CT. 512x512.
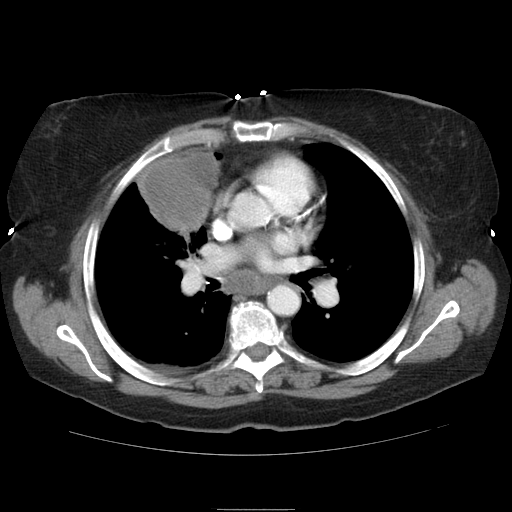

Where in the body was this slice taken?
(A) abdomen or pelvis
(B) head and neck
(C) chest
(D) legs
Answer: (C) chest
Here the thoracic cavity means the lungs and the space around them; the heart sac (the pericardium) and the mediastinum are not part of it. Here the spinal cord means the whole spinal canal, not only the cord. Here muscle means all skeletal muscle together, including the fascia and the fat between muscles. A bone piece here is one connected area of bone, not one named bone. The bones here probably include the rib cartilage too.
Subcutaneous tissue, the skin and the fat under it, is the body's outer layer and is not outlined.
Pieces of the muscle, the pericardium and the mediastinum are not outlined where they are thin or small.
The bones appear in 8 outlined pieces: piece 1: (248, 300) (263, 303) (283, 329) (285, 338) (298, 350) (332, 368) (344, 367) (367, 356) (407, 317) (410, 316) (410, 322) (391, 354) (366, 372) (344, 375) (288, 359) (263, 375) (263, 389) (258, 392) (255, 377) (240, 368) (194, 377) (224, 356) (229, 346) (231, 307), around a hole outlined by (259, 342) (260, 342) (261, 343) (266, 345) (268, 347) (268, 348) (269, 349) (269, 352) (267, 354) (267, 355) (264, 358) (263, 358) (260, 360) (253, 360) (247, 354) (247, 352) (246, 351) (246, 350) (249, 347) (250, 347) (251, 346) (253, 346) (256, 343) (258, 343); piece 2: (95, 219) (99, 220) (99, 233) (95, 249) (93, 270) (95, 293) (92, 296) (92, 300) (94, 307) (116, 343) (138, 363) (168, 378) (176, 379) (177, 380) (171, 385) (149, 383) (127, 372) (108, 354) (96, 334) (88, 312) (83, 282) (83, 254) (85, 242) (90, 224); piece 3: (205, 127) (221, 128) (224, 130) (228, 136) (225, 141) (219, 143) (213, 143) (210, 141) (206, 143) (192, 143) (157, 157) (136, 174) (132, 181) (119, 195) (113, 205) (109, 204) (109, 199) (112, 191) (120, 179) (132, 164) (156, 142) (168, 135) (195, 128); piece 4: (235, 120) (241, 120) (247, 123) (254, 123) (262, 120) (267, 120) (272, 123) (276, 123) (277, 122) (291, 122) (305, 127) (306, 131) (304, 133) (297, 134) (290, 137) (285, 137) (278, 140) (245, 141) (241, 142) (230, 136) (231, 135) (231, 126) (233, 121); piece 5: (335, 137) (340, 137) (350, 142) (352, 144) (359, 147) (369, 154) (384, 168) (397, 187) (403, 199) (403, 201) (405, 204) (406, 210) (407, 211) (405, 216) (404, 216) (401, 212) (398, 205) (396, 203) (392, 195) (380, 178) (355, 154) (346, 148) (338, 144) (335, 140); piece 6: (450, 300) (454, 300) (456, 301) (459, 305) (459, 312) (457, 315) (454, 317) (447, 317) (442, 319) (425, 336) (419, 345) (414, 348) (410, 352) (407, 353) (396, 364) (395, 364) (393, 362) (397, 354) (400, 351) (408, 348) (419, 338) (422, 332) (435, 320) (444, 305); piece 7: (414, 237) (418, 237) (420, 239) (422, 244) (423, 254) (424, 255) (424, 270) (425, 271) (424, 279) (423, 280) (423, 285) (421, 289) (421, 292) (419, 298) (416, 302) (415, 302) (415, 300) (412, 295) (413, 294) (413, 285) (414, 284) (414, 255) (413, 254) (413, 239); piece 8: (62, 324) (66, 324) (72, 329) (74, 333) (87, 350) (89, 354) (89, 356) (94, 365) (101, 372) (111, 377) (113, 380) (111, 382) (109, 382) (98, 376) (91, 369) (84, 354) (76, 345) (70, 342) (62, 340) (58, 337) (56, 333) (56, 329) (59, 325) (61, 325). The thoracic cavity appears in 2 outlined pieces: piece 1: (191, 148) (206, 148) (221, 156) (217, 160) (219, 179) (202, 225) (206, 232) (209, 267) (221, 281) (223, 293) (231, 297) (227, 316) (228, 346) (213, 364) (204, 369) (162, 373) (129, 355) (105, 325) (96, 294) (96, 249) (99, 234) (112, 207) (137, 174) (161, 156); piece 2: (322, 141) (346, 149) (379, 178) (402, 214) (412, 244) (412, 294) (395, 331) (375, 350) (349, 361) (346, 365) (332, 365) (304, 353) (293, 342) (291, 332) (292, 321) (301, 308) (305, 293) (292, 277) (314, 260) (316, 240) (327, 215) (326, 177) (304, 159) (303, 147). The mediastinum appears in 2 outlined pieces: piece 1: (204, 224) (209, 244) (226, 264) (262, 274) (278, 273) (295, 265) (310, 253) (315, 242) (313, 260) (291, 277) (304, 291) (300, 308) (291, 321) (291, 339) (296, 347) (286, 338) (284, 329) (263, 302) (248, 299) (231, 306) (232, 297) (224, 293) (222, 281) (210, 267); piece 2: (294, 136) (321, 140) (305, 144) (302, 147) (303, 158) (296, 151) (269, 144) (248, 149) (221, 166) (220, 159) (222, 156) (218, 152) (206, 147) (191, 147) (179, 152) (169, 153) (192, 144) (206, 144) (208, 142) (219, 144) (225, 142) (228, 137) (244, 143) (278, 141). The pericardium is outlined by (269, 145) (296, 152) (314, 169) (317, 170) (326, 185) (324, 212) (325, 219) (309, 253) (303, 259) (278, 272) (262, 273) (257, 270) (232, 266) (226, 263) (222, 256) (210, 244) (208, 226) (204, 222) (214, 193) (218, 186) (220, 179) (220, 166) (221, 167) (248, 150). The muscle is outlined by (223, 115) (238, 119) (232, 121) (229, 136) (221, 127) (205, 126) (168, 134) (156, 141) (112, 189) (108, 199) (112, 206) (100, 231) (99, 219) (89, 224) (82, 254) (87, 312) (102, 347) (123, 370) (149, 384) (171, 386) (178, 380) (164, 374) (206, 369) (195, 374) (197, 378) (240, 369) (254, 377) (254, 388) (261, 393) (264, 375) (288, 360) (357, 376) (381, 364) (403, 340) (411, 316) (398, 326) (412, 296) (415, 303) (419, 300) (426, 271) (423, 244) (418, 236) (413, 237) (412, 243) (404, 217) (408, 211) (398, 187) (385, 168) (359, 146) (340, 136) (334, 137) (337, 144) (296, 136) (307, 128) (291, 121) (264, 119) (278, 115) (304, 118) (345, 132) (403, 175) (427, 218) (434, 247) (440, 254) (435, 281) (447, 283) (454, 266) (467, 258) (481, 261) (492, 272) (497, 283) (496, 306) (486, 329) (464, 341) (449, 356) (406, 365) (376, 388) (356, 396) (316, 399) (267, 393) (257, 401) (220, 408) (123, 393) (107, 383) (66, 371) (46, 357) (29, 341) (13, 308) (12, 291) (17, 278) (31, 275) (55, 295) (65, 297) (63, 261) (102, 178) (159, 134) (181, 124); inner edges: (450, 300) (454, 300) (456, 301) (459, 305) (459, 312) (457, 315) (454, 317) (447, 317) (442, 319) (425, 336) (419, 345) (414, 348) (410, 352) (407, 353) (396, 364) (395, 364) (393, 362) (397, 354) (400, 351) (408, 348) (419, 338) (422, 332) (435, 320) (444, 305), then (62, 324) (66, 324) (72, 329) (74, 333) (87, 350) (89, 354) (89, 356) (94, 365) (101, 372) (111, 377) (113, 380) (111, 382) (109, 382) (98, 376) (91, 369) (84, 354) (76, 345) (70, 342) (62, 340) (58, 337) (56, 333) (56, 329) (59, 325) (61, 325). The spinal cord is outlined by (259, 342) (260, 342) (261, 343) (266, 345) (268, 347) (268, 348) (269, 349) (269, 352) (267, 354) (267, 355) (264, 358) (263, 358) (260, 360) (253, 360) (247, 354) (247, 352) (246, 351) (246, 350) (249, 347) (250, 347) (251, 346) (253, 346) (256, 343) (258, 343). The torso is outlined by (305, 87) (413, 95) (450, 107) (476, 125) (500, 188) (489, 233) (509, 271) (505, 313) (482, 374) (362, 420) (228, 433) (135, 421) (32, 378) (6, 313) (0, 246) (16, 230) (6, 205) (10, 183) (46, 108) (64, 99) (111, 92) (217, 91) (234, 101).